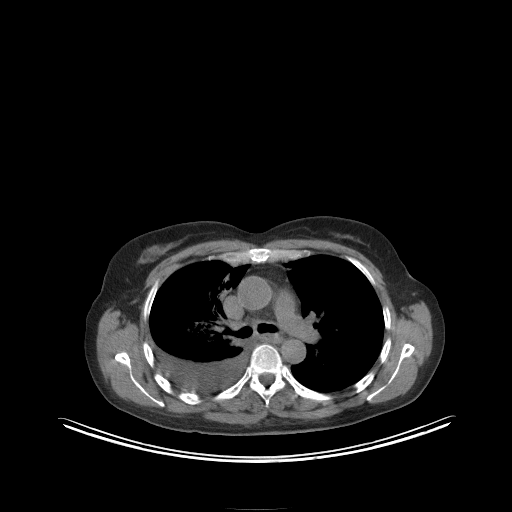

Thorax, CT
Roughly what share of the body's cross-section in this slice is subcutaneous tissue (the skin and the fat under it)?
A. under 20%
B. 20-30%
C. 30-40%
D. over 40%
Answer: B. 20-30%
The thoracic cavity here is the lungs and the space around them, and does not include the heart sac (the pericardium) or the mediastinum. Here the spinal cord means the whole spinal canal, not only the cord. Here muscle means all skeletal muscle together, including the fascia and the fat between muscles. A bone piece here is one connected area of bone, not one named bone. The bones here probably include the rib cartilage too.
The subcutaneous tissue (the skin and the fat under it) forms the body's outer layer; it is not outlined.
The bones appear in 12 outlined pieces: piece 1: [[260,344],[273,346],[281,361],[302,385],[317,392],[331,394],[333,399],[318,401],[301,396],[292,398],[293,389],[288,385],[276,391],[269,399],[266,407],[262,397],[246,385],[231,398],[214,400],[214,395],[233,385],[243,375],[250,362],[253,349]] with a hole at [[263,373],[270,373],[271,374],[272,374],[273,375],[273,376],[274,377],[274,378],[273,379],[273,381],[270,384],[269,384],[268,385],[265,385],[264,384],[263,384],[260,381],[260,380],[259,379],[259,377],[260,376],[260,375],[261,374],[262,374]]; piece 2: [[259,247],[269,249],[296,249],[297,250],[307,249],[310,250],[313,254],[294,260],[286,261],[277,260],[257,263],[256,262],[248,262],[231,265],[227,262],[219,259],[211,260],[205,259],[206,257],[210,255],[216,255],[225,252],[245,251],[251,248]]; piece 3: [[122,351],[124,351],[128,354],[131,365],[132,374],[134,378],[151,396],[160,401],[162,401],[164,403],[164,406],[163,407],[161,407],[157,403],[154,402],[144,394],[132,381],[129,374],[128,367],[125,364],[123,364],[115,359],[114,357],[115,354]]; piece 4: [[405,343],[409,343],[411,344],[414,347],[414,350],[409,356],[405,357],[401,361],[398,371],[393,379],[381,391],[373,396],[371,399],[368,401],[366,399],[367,396],[384,385],[388,381],[389,378],[395,370],[398,360],[400,357],[402,347]]; piece 5: [[156,280],[158,280],[159,281],[160,285],[153,299],[148,319],[147,320],[144,320],[144,318],[143,317],[143,308],[144,307],[144,303],[145,302],[145,299],[147,296],[148,291]]; piece 6: [[370,370],[373,370],[375,372],[374,377],[371,381],[371,382],[364,389],[361,390],[357,393],[353,393],[353,391],[354,390],[354,389],[352,387],[352,385],[356,382],[357,382],[360,379],[361,379]]; piece 7: [[179,392],[195,392],[197,394],[198,394],[200,396],[200,397],[202,399],[202,401],[200,403],[198,403],[197,404],[188,404],[187,403],[186,403],[185,402],[184,402],[182,400],[181,400],[177,396],[177,395],[178,394],[178,393]]; piece 8: [[345,256],[350,256],[353,258],[355,258],[357,259],[363,265],[364,265],[366,267],[368,271],[371,274],[372,277],[374,279],[376,283],[376,285],[374,287],[371,284],[371,283],[366,277],[366,276],[355,265],[354,265],[351,262],[347,260],[345,258]]; piece 9: [[155,372],[158,372],[159,373],[160,373],[165,378],[166,378],[170,382],[170,383],[171,384],[171,385],[172,386],[172,389],[173,390],[173,393],[172,394],[171,394],[170,393],[168,393],[167,392],[166,392],[156,382],[156,381],[154,379],[154,373]]; piece 10: [[144,341],[146,341],[148,343],[148,344],[151,347],[151,348],[152,349],[152,351],[153,352],[153,355],[154,356],[154,367],[153,368],[152,368],[150,366],[150,365],[148,363],[148,362],[144,355],[144,352],[143,351],[143,347],[142,346],[142,344]]; piece 11: [[388,337],[389,337],[391,339],[391,345],[390,346],[390,348],[389,349],[389,352],[387,355],[387,357],[386,358],[385,361],[383,363],[381,363],[379,361],[378,358],[379,357],[379,355],[380,354],[380,352],[381,351],[381,349],[382,348],[383,343]]; piece 12: [[383,305],[386,305],[388,307],[388,308],[389,309],[389,312],[390,313],[390,328],[388,330],[387,330],[386,329],[385,329],[385,325],[384,324],[384,317],[383,316],[383,311],[382,310],[382,306]]. The spinal cord is outlined by [[263,373],[270,373],[271,374],[272,374],[273,375],[273,376],[274,377],[274,378],[273,379],[273,381],[270,384],[269,384],[268,385],[265,385],[264,384],[263,384],[260,381],[260,380],[259,379],[259,377],[260,376],[260,375],[261,374],[262,374]]. The thoracic cavity appears in 2 outlined pieces: piece 1: [[202,260],[219,260],[232,267],[247,265],[237,285],[220,303],[226,321],[237,334],[237,339],[251,352],[244,372],[233,384],[215,394],[207,395],[200,395],[195,391],[181,391],[162,374],[155,361],[149,325],[152,305],[160,286],[178,269]]; piece 2: [[314,254],[325,254],[345,259],[365,276],[373,287],[381,305],[384,325],[383,342],[378,357],[370,369],[351,385],[329,393],[305,386],[295,378],[290,369],[291,366],[303,362],[306,358],[308,326],[302,315],[300,298],[284,265],[290,261]]. The muscle is outlined by [[290,238],[329,240],[355,249],[363,254],[380,271],[383,280],[386,284],[385,285],[386,289],[389,294],[392,304],[397,313],[399,312],[401,307],[408,306],[420,300],[423,300],[427,305],[431,314],[431,323],[433,332],[431,351],[427,359],[419,367],[418,373],[414,383],[404,394],[379,403],[373,404],[364,403],[361,405],[346,408],[333,415],[318,419],[305,420],[300,418],[284,418],[270,413],[258,423],[244,425],[243,424],[230,424],[212,421],[204,419],[199,415],[194,414],[182,416],[173,416],[169,414],[160,413],[151,410],[149,408],[140,406],[131,401],[126,401],[119,397],[111,389],[110,385],[105,381],[103,377],[97,360],[96,336],[97,335],[98,322],[104,311],[111,306],[113,306],[115,309],[119,309],[132,322],[137,322],[140,314],[140,306],[142,304],[147,292],[143,291],[142,288],[145,285],[145,282],[149,273],[157,264],[165,258],[188,246],[205,241],[219,240],[220,239],[237,239],[241,241],[255,244],[257,246],[261,246],[267,242],[276,239],[289,239]], around holes outlined by [[259,247],[350,256],[366,267],[380,304],[389,309],[383,341],[389,337],[391,345],[385,361],[377,359],[370,368],[375,374],[364,389],[353,393],[350,385],[330,392],[332,400],[318,401],[292,398],[288,385],[266,407],[246,385],[228,399],[208,394],[188,404],[177,396],[179,389],[173,386],[171,394],[156,382],[154,373],[162,372],[155,361],[150,366],[142,346],[154,343],[143,317],[154,282],[161,285],[210,255]] and by [[122,351],[124,351],[128,354],[131,365],[132,374],[134,378],[151,396],[160,401],[162,401],[164,403],[164,406],[163,407],[161,407],[157,403],[154,402],[144,394],[132,381],[129,374],[128,367],[125,364],[123,364],[115,359],[114,357],[115,354]] and by [[405,343],[409,343],[411,344],[414,347],[414,350],[409,356],[405,357],[401,361],[398,371],[393,379],[381,391],[373,396],[371,399],[368,401],[366,399],[367,396],[384,385],[388,381],[389,378],[395,370],[398,360],[400,357],[402,347]]. The torso is outlined by [[313,215],[352,218],[375,227],[392,243],[409,273],[436,296],[445,323],[444,349],[429,383],[414,401],[337,428],[230,436],[159,427],[114,407],[102,396],[84,356],[85,318],[100,291],[110,258],[125,242],[186,221],[223,221],[250,232],[262,232]]. The mediastinum is outlined by [[277,261],[289,261],[283,265],[286,268],[287,277],[299,298],[301,315],[305,319],[307,326],[305,358],[290,367],[282,361],[278,350],[273,345],[260,343],[251,351],[238,339],[238,334],[227,321],[221,303],[238,285],[248,268],[248,265],[247,264],[232,266],[238,264]].